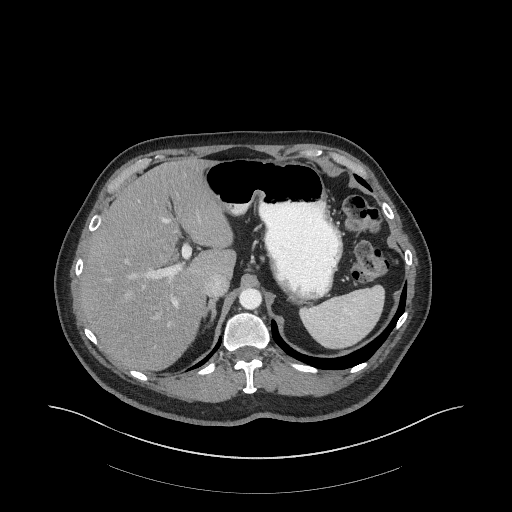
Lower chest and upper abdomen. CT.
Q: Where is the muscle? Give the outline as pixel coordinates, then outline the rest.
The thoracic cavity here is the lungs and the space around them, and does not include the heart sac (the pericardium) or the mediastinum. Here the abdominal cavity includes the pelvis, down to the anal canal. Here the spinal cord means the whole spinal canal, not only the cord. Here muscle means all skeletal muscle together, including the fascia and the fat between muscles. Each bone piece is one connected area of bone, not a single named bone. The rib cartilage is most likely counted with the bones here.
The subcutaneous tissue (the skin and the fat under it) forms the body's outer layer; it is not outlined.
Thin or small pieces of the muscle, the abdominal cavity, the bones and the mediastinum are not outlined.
A: {"muscle":[[[212,403],[244,393],[244,372],[232,367],[231,354],[222,346],[204,365],[216,363],[215,370],[209,374],[198,375],[195,369],[165,376],[147,375],[147,381],[140,381],[83,332],[87,324],[74,265],[78,257],[85,257],[93,233],[87,229],[90,218],[95,213],[102,214],[112,193],[106,191],[107,185],[142,157],[163,154],[162,159],[153,160],[156,162],[170,155],[203,156],[231,147],[247,147],[275,157],[301,155],[299,152],[303,149],[321,148],[343,154],[364,167],[374,196],[379,202],[386,201],[394,212],[395,217],[390,221],[398,242],[403,250],[407,247],[412,252],[413,264],[406,268],[405,309],[409,313],[400,328],[393,329],[367,361],[368,365],[355,373],[348,369],[319,369],[315,374],[297,371],[288,363],[300,362],[286,355],[271,340],[265,349],[263,366],[254,371],[256,392],[318,397],[339,390],[376,368],[401,338],[414,311],[416,252],[393,202],[374,173],[348,152],[315,143],[165,148],[128,160],[99,191],[84,223],[69,271],[72,311],[84,344],[101,364],[131,383],[188,402]]],"spinal_cord":[[[246,361],[248,361],[253,358],[258,357],[259,356],[259,354],[260,353],[259,350],[257,348],[256,348],[255,347],[253,347],[252,346],[244,346],[243,347],[241,347],[240,348],[237,349],[234,352],[234,356],[237,359],[242,359],[243,360],[245,360]]],"torso":[[[203,426],[234,426],[261,417],[319,421],[356,410],[387,383],[423,326],[432,294],[428,246],[380,165],[353,141],[319,130],[231,130],[147,139],[126,148],[106,165],[71,221],[58,252],[53,288],[60,325],[73,352],[92,378],[121,401],[154,415]]],"mediastinum":[[[269,327],[270,327],[269,326],[270,325],[270,321],[267,317],[267,312],[263,300],[263,296],[261,294],[261,292],[256,288],[244,288],[244,289],[236,296],[236,298],[234,300],[234,303],[225,318],[228,319],[233,314],[237,312],[249,311],[259,315]]],"bones":[{"outer":[[245,393],[253,393],[256,390],[253,385],[253,371],[255,368],[262,366],[262,359],[265,355],[264,349],[270,341],[270,331],[263,320],[249,312],[237,313],[227,320],[222,336],[222,345],[232,354],[233,367],[242,369],[245,372],[246,385],[243,388]],"hole":[[246,361],[248,361],[253,358],[258,357],[259,356],[259,354],[260,353],[259,350],[257,348],[256,348],[255,347],[253,347],[252,346],[244,346],[243,347],[241,347],[240,348],[237,349],[234,352],[234,356],[237,359],[242,359],[243,360],[245,360]]},[[364,179],[367,178],[367,173],[363,167],[359,164],[350,160],[345,156],[336,152],[332,152],[331,151],[325,152],[321,149],[307,149],[300,152],[300,154],[307,155],[308,157],[325,157],[326,158],[329,158],[339,164],[344,165],[348,169],[353,171]],[[109,193],[112,192],[115,188],[131,173],[133,173],[147,166],[154,158],[155,159],[157,158],[162,158],[163,157],[163,155],[159,155],[158,154],[151,158],[150,157],[146,157],[145,158],[139,159],[124,169],[108,185],[107,187],[107,191]],[[313,373],[315,373],[317,372],[318,371],[318,369],[312,366],[310,366],[309,365],[306,365],[302,363],[294,363],[293,362],[290,362],[289,363],[292,367],[293,367],[297,370],[299,370],[300,371],[308,371],[309,372],[312,372]],[[90,231],[93,231],[94,230],[95,230],[100,225],[100,224],[101,223],[101,221],[102,220],[102,217],[101,216],[101,215],[100,214],[95,214],[91,218],[91,219],[90,220],[90,222],[89,223],[89,225],[88,226],[88,229]],[[390,219],[393,219],[393,218],[394,217],[394,215],[393,214],[393,212],[392,211],[391,208],[388,205],[388,204],[386,202],[385,202],[384,201],[382,201],[381,202],[380,202],[379,203],[382,208],[382,210],[383,211],[384,214],[388,218],[389,218]],[[198,374],[205,374],[206,373],[209,373],[210,372],[211,372],[212,371],[213,371],[215,368],[215,363],[214,362],[211,362],[210,363],[209,363],[207,365],[206,365],[205,366],[204,366],[203,367],[202,367],[200,369],[199,369],[197,371],[197,373]],[[96,345],[97,345],[98,344],[98,342],[97,341],[97,339],[95,337],[94,334],[91,331],[91,330],[90,330],[89,329],[89,328],[88,328],[87,327],[85,327],[84,328],[84,332],[85,333],[86,336],[94,344],[95,344]],[[140,380],[147,380],[147,379],[148,378],[147,377],[147,376],[145,374],[144,374],[143,373],[142,373],[139,371],[136,371],[135,370],[130,370],[129,371],[129,373],[132,376],[133,376],[134,377],[135,377],[136,378],[137,378]],[[394,329],[397,329],[398,328],[399,328],[399,327],[404,322],[404,321],[405,320],[405,319],[407,316],[407,314],[408,313],[406,310],[405,310],[399,317],[399,318],[398,319],[398,320],[397,321],[397,322],[396,323],[396,324],[394,327]],[[350,372],[355,372],[356,371],[357,371],[358,370],[359,370],[360,369],[361,369],[362,368],[365,367],[367,365],[367,362],[366,361],[365,362],[362,362],[361,363],[360,363],[357,365],[355,365],[354,366],[351,367],[349,369]]],"abdominal_cavity":[[[151,375],[186,371],[209,353],[244,287],[262,292],[281,337],[307,355],[345,355],[377,336],[397,308],[405,264],[372,190],[329,160],[275,158],[247,148],[203,157],[170,156],[126,178],[107,202],[90,241],[80,295],[88,327],[102,347],[122,365]]],"thoracic_cavity":[[[323,369],[348,368],[367,360],[374,353],[384,341],[398,317],[404,310],[406,283],[403,286],[396,313],[384,330],[365,346],[345,356],[337,358],[316,358],[297,352],[283,341],[277,331],[275,322],[273,320],[271,321],[271,339],[286,354],[303,363]],[[188,370],[191,370],[195,368],[198,368],[202,366],[206,362],[207,362],[208,360],[213,355],[213,354],[221,345],[221,337],[220,337],[218,339],[218,341],[216,343],[216,345],[214,347],[212,351],[210,352],[210,353],[208,354],[202,360],[198,362]],[[368,189],[371,189],[371,188],[370,187],[370,186],[368,184],[368,183],[365,180],[364,180],[362,178],[361,178],[356,174],[355,175],[355,177],[356,178],[356,179],[358,181],[359,181],[360,182],[360,183],[361,183],[364,186],[365,186]]]}